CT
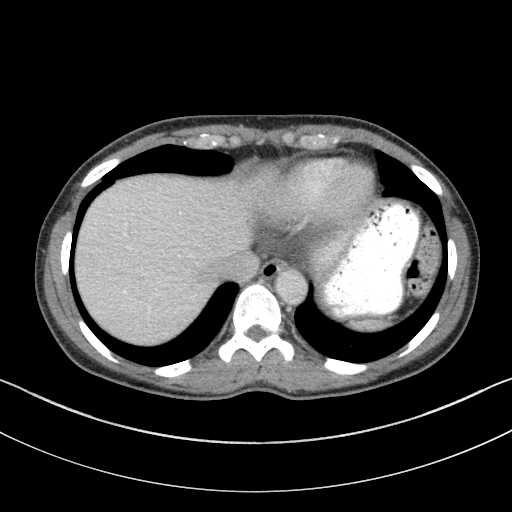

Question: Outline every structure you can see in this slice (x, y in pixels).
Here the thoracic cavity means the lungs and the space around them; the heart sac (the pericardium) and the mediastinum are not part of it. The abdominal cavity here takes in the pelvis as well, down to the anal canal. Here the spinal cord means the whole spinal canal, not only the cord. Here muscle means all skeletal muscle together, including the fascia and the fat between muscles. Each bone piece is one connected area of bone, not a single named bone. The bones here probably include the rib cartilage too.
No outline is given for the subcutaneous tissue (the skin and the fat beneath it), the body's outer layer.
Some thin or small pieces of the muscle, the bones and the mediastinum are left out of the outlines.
Answer: Outlines (x, y in pixels):
torso: 200,401 251,391 292,400 349,395 415,375 443,357 467,326 480,272 473,218 444,172 413,144 381,125 357,117 316,113 170,117 130,130 88,157 61,188 38,233 34,289 42,317 65,355 84,371 140,391
mediastinum 1: 291,321 296,308 305,301 308,294 309,280 305,264 305,251 303,247 286,250 264,244 246,256 242,262 240,270 234,276 232,281 239,285 239,290 245,285 255,281 259,281 265,285 277,297 282,309 283,317
mediastinum 2: 377,165 377,162 374,155 374,149 369,146 366,146 363,144 358,144 357,143 347,143 346,144 339,144 337,145 335,148 334,148 340,148 341,147 353,147 356,149 359,149 362,151 364,151 368,153 375,161
muscle 1: 193,393 223,393 257,381 290,392 364,383 405,365 439,344 454,328 462,313 471,262 465,226 458,216 452,195 441,179 429,170 444,192 438,198 447,236 456,243 458,263 455,276 451,281 446,281 436,308 441,315 435,328 410,353 397,358 402,347 370,362 364,372 340,375 325,369 322,366 324,356 319,353 316,355 293,324 290,325 287,322 289,320 283,318 281,335 295,347 295,355 290,362 286,362 274,348 259,363 243,349 237,350 231,361 225,363 218,357 216,349 232,334 230,321 227,328 224,331 222,328 200,355 191,358 190,371 165,378 155,375 151,367 114,353 120,362 116,364 108,360 87,341 78,327 77,320 81,316 73,299 69,276 61,272 59,252 62,237 68,229 72,229 81,200 99,181 82,188 79,184 86,173 72,187 72,193 50,233 43,273 44,295 50,312 59,328 76,347 101,365 138,380
muscle 2: 92,167 115,156 125,160 160,144 181,144 183,138 195,137 201,132 227,137 238,135 242,139 240,145 270,143 296,147 295,142 286,145 281,140 280,136 286,131 292,131 296,137 303,133 338,134 341,136 339,143 363,143 382,150 407,166 416,163 426,167 412,154 378,134 362,128 332,124 290,125 267,130 241,124 210,124 158,132 111,153
thoracic cavity 1: 152,367 205,348 230,320 238,285 222,284 194,322 166,344 126,344 104,332 81,302 73,273 77,232 91,200 120,177 228,171 232,158 214,149 164,144 141,152 104,175 77,211 69,269 77,307 113,352
thoracic cavity 2: 352,362 373,361 405,344 435,309 446,280 447,237 436,195 408,167 378,149 384,195 399,195 424,208 438,230 443,256 434,286 421,306 403,322 375,334 352,332 325,318 313,304 310,286 292,322 317,351
abdominal cavity 1: 147,347 166,343 184,331 215,290 231,281 245,256 266,243 254,219 252,191 273,161 292,152 270,144 246,145 250,146 243,152 231,156 234,164 228,172 137,174 116,180 92,200 74,254 80,297 104,331
abdominal cavity 2: 361,333 383,331 409,317 428,295 441,264 441,242 427,213 419,204 411,200 393,195 384,196 383,190 379,190 355,216 346,220 331,233 304,246 308,276 310,285 313,288 312,299 317,309 328,319 347,329
spinal cord: 255,341 258,341 267,335 267,333 266,332 266,331 265,330 264,330 259,325 254,325 253,326 252,326 250,328 249,328 249,329 247,331 247,332 246,333 246,335 248,337 251,338 253,340 254,340
bones 1: 225,362 229,362 233,353 239,348 247,350 258,362 269,349 274,347 279,350 286,361 290,361 294,355 293,345 280,335 283,316 279,303 271,291 259,282 245,286 235,298 231,312 233,334 217,349 219,357 with a hole at 255,341 258,341 267,335 267,333 266,332 266,331 265,330 264,330 259,325 254,325 253,326 252,326 250,328 249,328 249,329 247,331 247,332 246,333 246,335 248,337 251,338 253,340 254,340
bones 2: 307,149 329,148 332,147 339,142 340,140 340,136 338,135 335,136 327,136 322,133 318,133 314,135 303,134 296,138 292,132 286,132 281,136 282,140 286,144 290,144 292,142 295,141 297,147 301,147
bones 3: 204,149 216,148 222,146 223,147 226,146 229,143 232,145 239,145 241,139 238,136 231,136 227,138 222,135 219,135 218,134 201,133 195,138 194,137 190,137 183,139 182,140 182,144 189,147 203,148
bones 4: 340,374 355,374 356,373 359,373 362,371 364,371 367,368 368,368 369,366 369,363 352,363 351,362 346,362 341,360 337,360 329,357 325,357 324,359 324,362 323,363 323,366 329,370 334,371
bones 5: 397,357 401,357 405,355 407,353 410,352 415,347 416,347 429,334 429,333 434,328 440,315 439,311 437,309 436,309 434,311 434,312 432,314 430,318 423,326 423,327 405,345 403,346 403,349 397,355
bones 6: 82,187 88,186 99,180 104,174 105,174 108,171 115,167 119,163 123,161 123,159 121,159 118,157 115,157 114,158 109,159 106,161 104,161 92,168 83,178 80,184 80,185
bones 7: 116,363 118,363 119,361 113,355 113,353 96,337 96,336 87,326 87,325 82,319 82,318 81,317 79,318 78,320 78,324 79,325 79,327 82,333 85,336 85,337 88,340 88,341 102,355
bones 8: 438,196 441,196 443,194 443,192 442,191 441,186 439,184 438,181 435,178 435,177 426,168 425,168 422,166 417,165 416,164 411,164 409,166 409,168 418,177 418,178 420,180 421,180 433,192 434,192
bones 9: 165,377 173,377 190,370 191,369 190,359 186,359 183,361 181,361 174,364 170,364 169,365 166,365 165,366 160,366 159,367 153,368 152,370 155,374 159,375 160,376 164,376
bones 10: 65,275 68,275 68,269 69,268 69,255 70,254 70,246 71,245 71,237 72,236 72,230 68,230 65,233 63,237 63,239 62,240 62,243 61,244 61,251 60,252 61,269 62,270 62,272 63,274
bones 11: 448,280 451,280 453,278 454,273 455,272 455,269 456,268 456,264 457,263 457,254 456,253 455,243 453,239 450,237 449,237 447,240 447,258 448,259 448,263 447,264 448,265 447,266 447,279
pericardium: 286,249 303,246 331,232 346,219 349,219 350,217 355,215 373,197 374,194 382,188 379,184 379,173 377,166 368,154 353,148 303,150 293,152 288,156 271,164 253,191 255,219 260,236 266,240 268,244